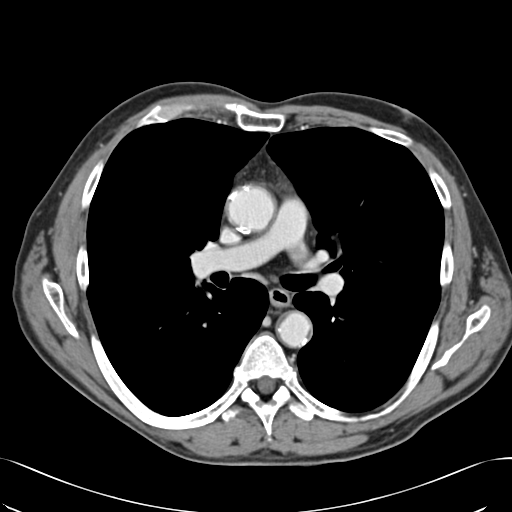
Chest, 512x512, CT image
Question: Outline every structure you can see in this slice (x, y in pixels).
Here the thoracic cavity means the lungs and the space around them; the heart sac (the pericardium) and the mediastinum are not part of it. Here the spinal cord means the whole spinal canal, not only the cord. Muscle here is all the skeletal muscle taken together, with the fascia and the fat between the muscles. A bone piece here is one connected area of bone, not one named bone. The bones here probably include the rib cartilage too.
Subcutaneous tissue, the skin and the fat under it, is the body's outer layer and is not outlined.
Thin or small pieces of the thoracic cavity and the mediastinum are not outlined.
Answer: {"bones":[{"outer":[[435,319],[429,363],[390,412],[351,422],[304,420],[285,404],[273,417],[271,441],[255,411],[238,400],[241,409],[227,422],[167,429],[142,421],[111,389],[90,342],[96,334],[141,402],[177,417],[216,401],[248,343],[268,334],[312,396],[348,415],[360,416],[381,411],[402,395]],"hole":[[263,376],[267,376],[272,379],[278,379],[280,381],[280,382],[276,385],[276,387],[274,391],[270,394],[270,396],[268,398],[265,398],[261,394],[257,392],[251,386],[250,384],[250,383],[252,381],[256,381],[258,379],[261,378]]},[[233,102],[234,103],[243,104],[249,109],[260,113],[281,113],[283,114],[286,118],[284,125],[282,129],[277,132],[244,130],[237,126],[234,119],[234,114],[227,111],[224,109],[223,107],[223,105],[225,103],[232,103]],[[484,304],[486,304],[489,306],[491,311],[488,320],[482,328],[478,331],[471,333],[463,343],[450,356],[447,363],[445,365],[435,369],[431,369],[431,366],[442,356],[443,353],[447,349],[451,347],[461,339],[465,332],[466,318],[468,315],[476,311]],[[173,103],[191,103],[197,107],[195,110],[193,111],[190,111],[187,113],[186,115],[183,115],[182,116],[180,116],[164,122],[151,123],[150,124],[143,125],[137,128],[134,128],[136,123],[154,106],[156,105],[167,105],[168,104],[172,104]],[[44,276],[49,280],[51,281],[54,281],[60,285],[62,289],[62,291],[63,292],[63,296],[64,297],[64,310],[67,316],[73,323],[79,335],[79,337],[78,338],[75,338],[66,330],[61,320],[48,301],[43,291],[42,282],[41,281],[42,278]],[[99,160],[103,160],[105,163],[103,166],[103,168],[100,174],[98,182],[96,185],[95,190],[93,193],[92,198],[90,201],[89,207],[88,208],[83,209],[81,206],[81,201],[82,200],[82,195],[83,194],[84,186],[90,172],[92,170],[93,167]],[[445,240],[447,240],[451,245],[451,249],[452,250],[452,254],[453,255],[453,272],[452,273],[452,276],[451,277],[451,281],[447,285],[442,288],[440,285],[440,267],[441,266],[441,257],[442,256],[442,250],[443,249],[443,245],[444,244],[444,241]],[[82,244],[85,244],[86,246],[86,251],[87,252],[87,265],[88,266],[88,285],[86,289],[86,292],[83,292],[80,288],[80,286],[78,283],[78,279],[77,278],[77,273],[76,272],[76,256],[77,255],[77,252],[78,251],[78,249],[80,245]],[[429,168],[432,168],[437,173],[438,173],[438,174],[444,181],[448,189],[448,191],[449,192],[449,196],[450,197],[450,200],[451,201],[451,206],[450,208],[448,209],[445,209],[443,208],[441,204],[441,202],[436,192],[436,190],[428,174],[427,170]],[[370,126],[379,127],[380,128],[384,128],[385,129],[391,129],[392,130],[400,132],[408,136],[412,140],[412,144],[409,147],[406,147],[404,145],[402,145],[399,143],[397,143],[394,141],[392,141],[389,139],[382,137],[368,130],[367,129]]],"thoracic_cavity":[[[183,116],[223,119],[244,131],[268,133],[231,180],[212,252],[217,268],[226,272],[230,280],[248,278],[261,284],[268,304],[233,368],[228,388],[206,407],[172,416],[141,401],[119,376],[104,349],[87,295],[86,234],[91,201],[118,143],[134,129]],[[301,125],[356,127],[408,148],[427,172],[443,209],[441,289],[436,311],[401,395],[367,414],[348,414],[320,401],[301,384],[293,365],[313,335],[310,317],[295,305],[294,298],[310,289],[302,276],[319,278],[324,264],[311,214],[267,145],[273,136]]],"mediastinum":[[[295,189],[317,231],[315,243],[323,264],[319,277],[301,276],[309,289],[302,289],[293,298],[312,324],[312,335],[298,351],[295,365],[272,335],[254,336],[268,308],[266,288],[248,277],[230,279],[213,257],[221,217],[229,242],[245,244],[272,225]],[[282,130],[289,130],[273,135],[266,145],[266,151],[293,186],[282,177],[279,177],[276,180],[269,178],[246,180],[242,183],[239,183],[235,187],[225,204],[222,216],[224,204],[230,192],[232,180],[236,173],[260,149],[269,137],[269,132],[277,133]]],"pericardium":[[[279,178],[282,178],[288,182],[294,188],[294,191],[284,201],[271,225],[265,231],[250,241],[247,241],[245,243],[232,244],[222,228],[222,217],[225,211],[226,204],[236,187],[239,184],[242,184],[246,181],[247,182],[263,179],[269,179],[276,181]]],"torso":[[[174,81],[217,83],[263,101],[315,91],[362,94],[397,104],[436,129],[462,163],[511,270],[511,348],[494,375],[410,438],[382,451],[313,466],[230,466],[194,462],[165,451],[48,367],[23,335],[11,297],[28,218],[77,144],[103,115],[142,90]]],"spinal_cord":[[[263,376],[267,376],[272,379],[278,379],[280,381],[280,382],[276,385],[276,387],[274,391],[270,394],[270,396],[268,398],[265,398],[261,394],[257,392],[251,386],[250,384],[250,383],[252,381],[256,381],[258,379],[261,378]]],"muscle":[{"outer":[[200,93],[225,94],[230,96],[234,96],[243,99],[262,110],[287,104],[297,104],[298,105],[325,105],[344,110],[358,112],[380,121],[401,127],[405,130],[409,136],[416,141],[422,143],[431,150],[455,179],[464,202],[469,222],[471,243],[476,248],[476,250],[478,252],[480,250],[482,251],[484,246],[486,246],[492,252],[494,258],[498,263],[498,265],[511,290],[511,327],[505,340],[493,357],[491,363],[485,371],[478,378],[458,392],[421,410],[400,423],[394,425],[393,429],[391,431],[375,436],[369,440],[345,451],[339,451],[334,453],[320,455],[297,455],[291,452],[284,453],[269,448],[262,448],[253,451],[245,456],[228,455],[223,457],[206,457],[193,453],[178,442],[172,441],[163,442],[158,438],[151,435],[98,399],[83,384],[58,363],[42,346],[34,334],[34,332],[26,318],[20,298],[20,284],[21,283],[22,267],[36,237],[41,230],[46,231],[54,224],[62,197],[78,168],[88,156],[98,147],[98,144],[107,141],[113,135],[114,130],[126,119],[160,99],[178,95],[199,94]],"holes":[[[233,102],[283,114],[283,130],[373,126],[400,132],[448,189],[444,239],[453,272],[432,319],[439,321],[437,341],[418,382],[386,414],[304,420],[285,404],[273,417],[268,441],[259,416],[238,400],[241,409],[227,422],[217,417],[167,429],[130,411],[98,366],[90,342],[98,333],[76,272],[78,249],[86,243],[89,209],[81,201],[90,172],[156,105],[191,103],[197,108],[187,116],[236,126],[223,107]],[[484,304],[486,304],[489,306],[491,311],[488,320],[482,328],[478,331],[471,333],[463,343],[450,356],[447,363],[445,365],[435,369],[431,369],[431,366],[442,356],[443,353],[447,349],[451,347],[461,339],[465,332],[466,318],[468,315],[476,311]],[[44,276],[49,280],[51,281],[54,281],[60,285],[62,289],[62,291],[63,292],[63,296],[64,297],[64,310],[67,316],[73,323],[79,335],[79,337],[78,338],[75,338],[66,330],[61,320],[48,301],[43,291],[42,282],[41,281],[42,278]]]}]}